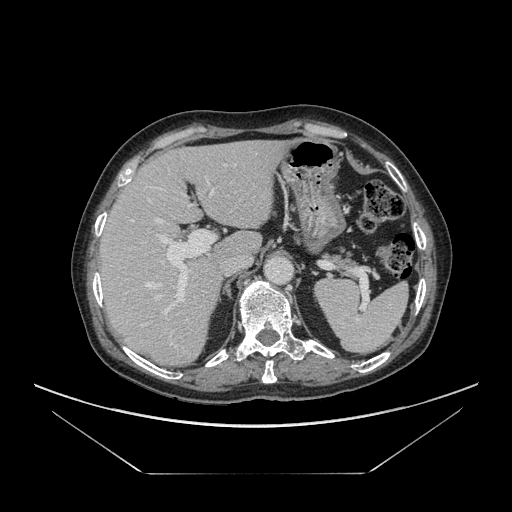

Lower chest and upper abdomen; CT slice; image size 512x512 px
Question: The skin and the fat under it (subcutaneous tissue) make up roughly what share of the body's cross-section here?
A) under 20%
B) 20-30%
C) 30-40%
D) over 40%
Answer: A) under 20%
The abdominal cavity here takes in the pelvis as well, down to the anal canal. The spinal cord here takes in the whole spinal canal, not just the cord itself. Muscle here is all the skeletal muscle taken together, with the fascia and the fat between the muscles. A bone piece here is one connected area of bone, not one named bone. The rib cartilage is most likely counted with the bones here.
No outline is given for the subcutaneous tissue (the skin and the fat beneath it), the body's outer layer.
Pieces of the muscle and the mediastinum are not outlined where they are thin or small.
{"torso":[[[297,103],[333,107],[378,128],[407,156],[436,201],[451,239],[452,267],[438,322],[425,351],[377,383],[328,398],[299,402],[255,399],[226,405],[194,403],[161,395],[114,373],[88,341],[70,275],[78,224],[108,160],[138,130],[175,112],[248,111]]],"spinal_cord":[[[264,329],[272,329],[273,330],[274,330],[278,334],[278,339],[277,340],[276,340],[272,344],[271,344],[270,345],[265,345],[264,344],[263,344],[257,338],[257,335],[262,330],[263,330]]],"bones":[{"outer":[[255,278],[268,282],[287,296],[294,320],[293,331],[297,336],[315,340],[331,350],[335,357],[309,351],[302,359],[294,360],[285,352],[278,352],[272,357],[277,380],[268,384],[261,380],[266,358],[259,352],[237,361],[234,350],[243,336],[239,299]],"hole":[[264,329],[272,329],[273,330],[274,330],[278,334],[278,339],[277,340],[276,340],[272,344],[271,344],[270,345],[265,345],[264,344],[263,344],[257,338],[257,335],[262,330],[263,330]]},[[123,344],[127,346],[138,355],[148,360],[153,364],[161,368],[164,368],[170,371],[179,371],[181,372],[183,375],[179,379],[165,379],[160,376],[158,376],[150,372],[148,370],[145,369],[143,367],[134,362],[124,352],[124,351],[121,348],[121,345]],[[201,126],[204,127],[206,129],[205,131],[194,133],[181,140],[174,141],[172,143],[170,143],[163,147],[160,147],[151,151],[149,150],[149,148],[156,141],[165,136],[167,136],[170,134],[188,128],[191,128],[192,127],[200,127]],[[384,350],[389,350],[391,352],[389,357],[384,362],[383,362],[375,368],[374,368],[367,372],[359,372],[358,371],[356,371],[355,370],[354,370],[349,366],[349,365],[350,365],[353,363],[359,363],[363,360],[366,360],[367,359],[382,352]],[[306,123],[311,123],[312,124],[327,127],[331,129],[334,129],[337,131],[341,131],[342,132],[343,131],[346,132],[347,135],[342,138],[341,137],[334,137],[329,135],[323,135],[322,134],[316,134],[315,133],[306,133],[306,131],[304,128],[304,124]],[[386,160],[389,160],[390,161],[391,161],[398,168],[398,169],[402,174],[402,175],[408,186],[408,189],[406,192],[403,192],[401,190],[401,189],[398,186],[398,185],[394,181],[394,180],[389,175],[389,174],[387,172],[386,169],[384,167],[384,162]],[[138,155],[141,157],[141,160],[137,165],[134,172],[132,174],[131,176],[131,179],[123,186],[121,187],[118,187],[117,185],[117,177],[118,176],[118,174],[121,171],[125,169],[128,166],[130,161],[134,157]],[[421,277],[423,277],[425,279],[425,283],[426,284],[426,287],[425,288],[425,294],[424,295],[424,299],[423,300],[422,305],[417,315],[414,315],[413,314],[413,312],[414,311],[414,301],[415,300],[415,296],[416,295],[416,290],[417,289],[418,281]],[[413,221],[417,221],[418,222],[419,225],[424,231],[424,233],[425,234],[425,236],[426,237],[426,246],[425,247],[425,249],[424,250],[419,250],[416,245],[416,242],[415,241],[415,237],[414,236],[414,232],[413,231],[413,228],[412,227],[412,222]],[[95,271],[97,271],[99,273],[99,278],[100,279],[100,282],[101,283],[101,291],[102,292],[102,303],[103,304],[103,306],[102,307],[99,306],[99,305],[95,298],[95,296],[93,293],[93,289],[92,288],[92,279],[93,278],[93,273]],[[223,348],[226,348],[227,350],[227,352],[229,354],[228,357],[226,359],[223,360],[221,362],[213,366],[210,366],[209,367],[205,367],[204,366],[204,364],[205,362],[206,362],[210,358],[214,356],[221,349]],[[103,211],[106,211],[107,212],[107,215],[105,218],[105,222],[104,223],[104,225],[103,226],[103,228],[102,229],[101,234],[99,236],[99,237],[97,237],[95,235],[95,227],[94,225],[95,224],[95,221],[96,220],[96,218],[98,216],[98,215]]],"mediastinum":[[[273,250],[279,251],[283,250],[291,255],[299,269],[299,276],[294,287],[293,293],[295,315],[292,311],[292,306],[288,296],[283,291],[274,287],[266,280],[255,277],[250,280],[244,287],[241,294],[241,287],[244,278],[252,272],[267,252]],[[314,135],[324,136],[330,138],[335,138],[339,140],[343,140],[344,141],[350,142],[352,144],[365,150],[366,152],[372,155],[383,166],[387,173],[378,169],[371,169],[369,170],[368,169],[360,168],[357,166],[352,160],[349,150],[345,145],[327,138]]],"muscle":[[[294,118],[314,119],[339,126],[385,153],[395,164],[386,159],[383,165],[365,149],[350,141],[336,138],[345,138],[348,135],[346,131],[311,122],[303,124],[305,132],[247,131],[224,137],[198,138],[173,144],[194,134],[205,132],[207,129],[204,126],[192,126],[156,140],[148,150],[151,152],[162,148],[139,165],[142,157],[138,154],[134,156],[127,166],[117,174],[116,185],[121,188],[108,213],[106,210],[99,213],[93,225],[94,235],[99,238],[99,272],[95,270],[92,273],[92,293],[99,307],[102,308],[104,304],[109,321],[123,342],[120,348],[134,363],[165,380],[179,380],[184,375],[179,370],[167,369],[186,370],[202,364],[205,368],[209,368],[221,363],[230,355],[226,347],[238,321],[238,306],[242,336],[234,347],[234,359],[241,362],[255,352],[264,357],[264,368],[260,377],[262,383],[254,383],[226,391],[201,391],[165,382],[113,358],[100,344],[93,327],[86,294],[85,263],[88,237],[95,211],[122,165],[130,156],[157,136],[190,123],[200,122],[226,128],[255,128],[279,124]],[[399,168],[424,208],[434,239],[437,285],[426,328],[414,343],[387,365],[369,374],[318,386],[276,383],[278,378],[273,357],[278,353],[285,353],[294,361],[302,360],[309,352],[328,359],[337,355],[362,360],[348,366],[356,372],[367,373],[390,357],[392,352],[385,349],[406,324],[413,304],[412,314],[418,315],[427,287],[423,276],[417,284],[418,250],[426,249],[427,237],[419,222],[412,221],[403,193],[409,186]],[[294,315],[299,320],[299,321],[302,324],[302,325],[307,331],[309,335],[312,338],[310,337],[306,337],[304,338],[303,337],[301,337],[297,335],[295,333],[294,331],[294,327],[295,326],[295,320],[294,319]]],"abdominal_cavity":[[[247,132],[339,143],[357,167],[384,172],[402,192],[417,248],[415,295],[405,324],[382,351],[343,357],[310,335],[296,316],[300,269],[283,249],[267,251],[243,278],[234,330],[204,363],[155,364],[114,329],[102,291],[100,236],[121,189],[167,146]]]}